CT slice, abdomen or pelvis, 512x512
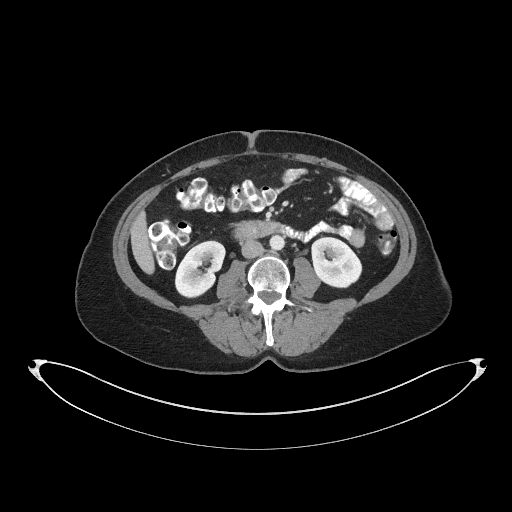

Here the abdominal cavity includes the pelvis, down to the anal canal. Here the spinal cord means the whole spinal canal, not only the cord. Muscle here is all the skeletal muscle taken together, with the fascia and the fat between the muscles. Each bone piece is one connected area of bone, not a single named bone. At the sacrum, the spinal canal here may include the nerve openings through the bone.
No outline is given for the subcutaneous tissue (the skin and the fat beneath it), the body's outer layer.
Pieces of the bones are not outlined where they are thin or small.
The muscle is outlined by (290, 359) (300, 358) (307, 353) (312, 352) (314, 350) (317, 349) (330, 338) (341, 323) (345, 319) (348, 313) (354, 309) (364, 304) (374, 301) (388, 293) (411, 269) (414, 263) (414, 260) (416, 255) (416, 248) (417, 247) (416, 235) (413, 226) (406, 211) (400, 202) (390, 192) (375, 181) (373, 181) (359, 174) (351, 168) (349, 168) (335, 161) (330, 160) (325, 157) (318, 157) (314, 155) (305, 154) (304, 153) (295, 153) (294, 152) (265, 152) (264, 151) (258, 151) (255, 149) (253, 149) (252, 150) (247, 150) (243, 152) (234, 153) (233, 154) (222, 154) (221, 155) (214, 156) (193, 163) (186, 167) (184, 167) (178, 170) (162, 182) (156, 184) (143, 191) (130, 203) (121, 215) (117, 223) (113, 235) (113, 239) (112, 240) (112, 255) (113, 256) (113, 260) (114, 261) (115, 268) (118, 275) (127, 287) (128, 287) (135, 294) (145, 298) (151, 303) (159, 307) (183, 314) (189, 318) (198, 326) (206, 338) (214, 346) (227, 355) (234, 356) (235, 357) (241, 357) (242, 358) (244, 357) (253, 357) (261, 353) (264, 350) (272, 349) (278, 354) with a hole at (268, 346) (272, 314) (295, 305) (286, 291) (296, 256) (321, 282) (314, 300) (359, 299) (393, 267) (399, 236) (385, 205) (352, 177) (250, 155) (164, 188) (130, 227) (128, 254) (138, 277) (178, 305) (216, 301) (218, 276) (245, 260) (252, 292) (244, 305) (263, 315). The bones are outlined by (268, 346) (271, 346) (274, 340) (271, 325) (272, 314) (276, 310) (281, 310) (285, 305) (295, 305) (286, 296) (290, 283) (289, 269) (282, 259) (270, 254) (256, 259) (248, 268) (247, 281) (252, 292) (244, 300) (244, 305) (251, 305) (251, 313) (263, 315) (265, 342), around a hole outlined by (266, 303) (271, 303) (272, 302) (273, 302) (275, 300) (276, 300) (278, 298) (279, 298) (279, 294) (278, 293) (277, 293) (276, 292) (267, 292) (266, 291) (262, 291) (261, 292) (260, 292) (259, 293) (259, 296) (260, 297) (260, 298) (262, 300) (263, 300). The spinal cord is outlined by (266, 303) (271, 303) (272, 302) (273, 302) (275, 300) (276, 300) (278, 298) (279, 298) (279, 294) (278, 293) (277, 293) (276, 292) (267, 292) (266, 291) (262, 291) (261, 292) (260, 292) (259, 293) (259, 296) (260, 297) (260, 298) (262, 300) (263, 300). The torso is outlined by (223, 375) (250, 371) (266, 360) (293, 372) (346, 367) (431, 333) (449, 315) (451, 286) (420, 211) (384, 168) (357, 149) (327, 136) (297, 130) (232, 130) (205, 136) (148, 164) (110, 197) (97, 216) (81, 253) (74, 284) (74, 307) (82, 326) (97, 341) (144, 363). The abdominal cavity is outlined by (178, 305) (216, 301) (217, 278) (234, 259) (245, 260) (247, 269) (266, 253) (287, 263) (291, 280) (292, 260) (306, 257) (321, 282) (314, 300) (359, 299) (398, 257) (395, 220) (357, 180) (319, 165) (250, 155) (197, 170) (172, 182) (142, 210) (128, 240) (138, 277).